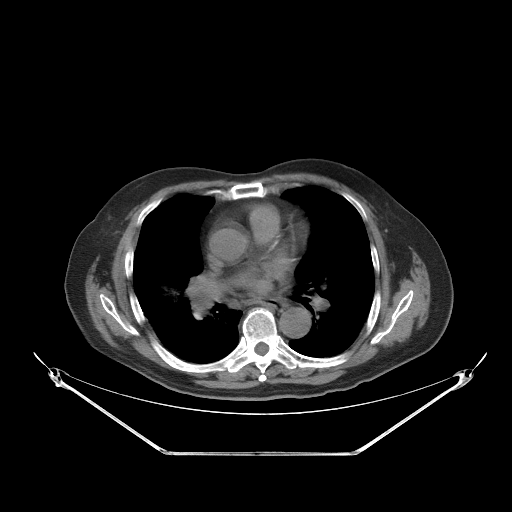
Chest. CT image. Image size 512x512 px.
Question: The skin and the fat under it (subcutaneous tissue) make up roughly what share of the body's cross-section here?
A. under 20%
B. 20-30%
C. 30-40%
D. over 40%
Answer: B. 20-30%
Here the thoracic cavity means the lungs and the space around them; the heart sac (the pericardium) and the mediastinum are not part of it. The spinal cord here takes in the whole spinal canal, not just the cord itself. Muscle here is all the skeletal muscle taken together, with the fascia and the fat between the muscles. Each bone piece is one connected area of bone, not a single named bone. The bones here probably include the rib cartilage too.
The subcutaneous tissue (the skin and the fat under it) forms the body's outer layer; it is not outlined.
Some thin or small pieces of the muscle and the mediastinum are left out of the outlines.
{"mediastinum":[[[212,196],[224,201],[244,199],[224,207],[203,232],[204,273],[213,289],[236,299],[267,296],[292,284],[295,272],[291,298],[311,314],[307,335],[286,342],[269,309],[254,306],[241,321],[241,310],[212,295],[200,276],[199,240],[201,225],[215,202]],[[281,189],[285,189],[281,194],[281,197],[282,198],[289,200],[297,204],[300,206],[305,212],[305,214],[310,223],[310,235],[309,237],[310,227],[308,224],[308,221],[296,207],[281,199],[277,199],[271,197],[265,197],[268,194],[276,193]]],"torso":[[[301,157],[331,159],[360,170],[381,185],[432,233],[451,274],[454,300],[448,325],[430,350],[347,390],[306,398],[238,401],[198,397],[168,389],[88,344],[65,299],[63,284],[66,267],[79,232],[120,187],[141,175],[166,167],[190,165],[246,173]]],"spinal_cord":[[[260,342],[262,342],[263,343],[264,343],[265,344],[266,344],[267,345],[267,346],[268,347],[268,350],[264,354],[263,354],[262,355],[261,354],[259,354],[258,353],[257,353],[255,351],[255,347],[256,346],[256,345],[258,343],[259,343]]],"thoracic_cavity":[[[180,193],[202,194],[213,198],[214,202],[203,218],[198,234],[202,257],[202,270],[199,276],[218,302],[225,304],[230,309],[241,311],[237,344],[223,357],[210,362],[187,361],[168,350],[160,342],[145,316],[133,286],[135,248],[145,218],[164,200]],[[302,185],[321,186],[343,197],[361,217],[369,241],[374,272],[374,292],[369,311],[353,342],[331,356],[306,355],[288,344],[290,340],[307,336],[312,327],[312,314],[292,298],[298,283],[296,270],[308,248],[311,223],[300,205],[282,197],[286,189]]],"muscle":[{"outer":[[294,172],[313,173],[331,178],[361,195],[372,206],[386,250],[391,284],[395,290],[403,277],[410,276],[412,252],[408,248],[409,246],[424,262],[430,281],[428,316],[424,324],[419,329],[414,330],[407,341],[380,350],[367,361],[348,368],[339,377],[322,384],[263,382],[267,379],[266,369],[273,361],[282,364],[289,370],[297,367],[329,368],[346,362],[352,354],[352,351],[347,349],[363,327],[364,335],[368,336],[378,319],[381,292],[378,289],[375,290],[375,274],[380,273],[380,261],[377,248],[370,242],[368,237],[364,222],[368,220],[365,209],[360,201],[350,193],[342,190],[337,193],[321,185],[302,184],[298,181],[267,185],[259,180],[249,181],[271,174]],"hole":[[409,290],[412,290],[413,291],[413,296],[411,302],[407,309],[402,312],[397,317],[394,323],[394,325],[388,333],[384,335],[377,343],[371,344],[370,343],[371,339],[378,332],[383,331],[388,327],[391,321],[391,316],[399,301],[402,297],[409,291]]},{"outer":[[215,179],[242,182],[237,182],[227,188],[209,188],[201,194],[180,192],[166,199],[161,194],[140,210],[135,221],[135,225],[139,228],[135,247],[132,244],[128,244],[124,253],[124,274],[127,279],[132,277],[133,291],[128,294],[128,299],[133,316],[139,325],[147,321],[149,323],[157,337],[151,335],[149,342],[154,351],[166,364],[176,370],[188,373],[223,371],[235,373],[244,366],[253,363],[259,370],[260,373],[257,379],[261,383],[248,388],[206,387],[193,382],[185,374],[163,368],[117,349],[110,345],[94,326],[85,297],[86,275],[98,254],[100,258],[97,262],[95,274],[102,285],[110,280],[114,252],[128,223],[125,217],[133,207],[163,187],[187,181]],"hole":[[101,293],[107,296],[114,303],[115,305],[115,307],[120,316],[120,318],[124,322],[126,323],[128,323],[132,326],[133,326],[138,331],[139,333],[138,335],[134,335],[126,331],[121,326],[121,325],[104,309],[101,303],[100,298],[99,297],[99,295]]}],"pericardium":[[[254,198],[271,198],[281,200],[296,208],[307,221],[309,233],[305,251],[296,267],[292,283],[279,291],[267,295],[253,296],[247,298],[236,298],[218,292],[210,283],[210,280],[205,273],[206,266],[202,249],[203,235],[211,221],[224,208],[236,202]]],"bones":[{"outer":[[254,307],[263,307],[273,314],[277,332],[300,354],[323,358],[350,350],[349,358],[340,364],[289,369],[273,360],[261,382],[260,370],[253,362],[235,372],[176,369],[159,356],[150,342],[152,336],[187,362],[217,361],[238,344],[241,322]],"hole":[[260,342],[262,342],[263,343],[264,343],[265,344],[266,344],[267,345],[267,346],[268,347],[268,350],[264,354],[263,354],[262,355],[261,354],[259,354],[258,353],[257,353],[255,351],[255,347],[256,346],[256,345],[258,343],[259,343]]},[[252,181],[259,181],[265,186],[292,182],[298,182],[301,184],[299,186],[281,188],[276,192],[268,193],[264,197],[247,197],[246,198],[225,199],[224,200],[215,195],[203,194],[206,190],[209,189],[214,188],[227,189],[237,183],[251,182]],[[409,290],[412,290],[413,291],[413,296],[411,302],[407,309],[402,312],[397,317],[394,323],[394,325],[388,333],[384,335],[377,343],[371,344],[370,343],[371,339],[378,332],[383,331],[388,327],[391,321],[391,316],[399,301],[402,297],[409,291]],[[101,293],[107,296],[114,303],[115,305],[115,307],[120,316],[120,318],[124,322],[126,323],[128,323],[132,326],[133,326],[138,331],[139,333],[138,335],[134,335],[126,331],[121,326],[121,325],[104,309],[101,303],[100,298],[99,297],[99,295]],[[376,290],[378,290],[380,292],[380,306],[379,307],[379,311],[378,312],[377,319],[370,333],[368,335],[365,335],[365,323],[367,320],[367,318],[368,317],[368,315],[370,311],[371,304],[373,300],[374,293]],[[131,292],[134,292],[138,300],[139,305],[143,312],[143,314],[144,316],[147,319],[147,320],[142,324],[139,324],[137,322],[134,316],[134,314],[132,311],[132,309],[131,308],[131,305],[130,304],[130,300],[129,299],[129,294]],[[161,195],[163,195],[163,200],[144,218],[144,219],[143,220],[140,227],[137,226],[136,225],[136,221],[137,220],[138,215],[139,214],[139,213],[141,211],[141,210],[148,203],[149,203],[151,201],[152,201],[154,199],[157,198],[159,196],[160,196]],[[128,245],[132,245],[134,247],[134,253],[133,254],[133,270],[132,271],[132,276],[130,278],[127,278],[127,277],[126,276],[126,275],[125,274],[125,253],[126,252],[126,251],[127,250],[127,246]],[[342,191],[343,192],[345,192],[346,193],[350,194],[359,201],[362,207],[364,209],[364,211],[367,216],[367,220],[366,221],[364,221],[363,220],[362,217],[360,215],[358,211],[354,207],[354,206],[352,205],[351,203],[350,203],[340,194],[340,192]],[[370,243],[372,243],[375,246],[375,247],[376,248],[376,250],[377,251],[377,255],[378,256],[378,260],[379,261],[379,273],[378,274],[376,274],[374,271],[374,268],[373,267],[373,264],[372,263],[372,258],[371,257],[371,250],[370,249]]]}